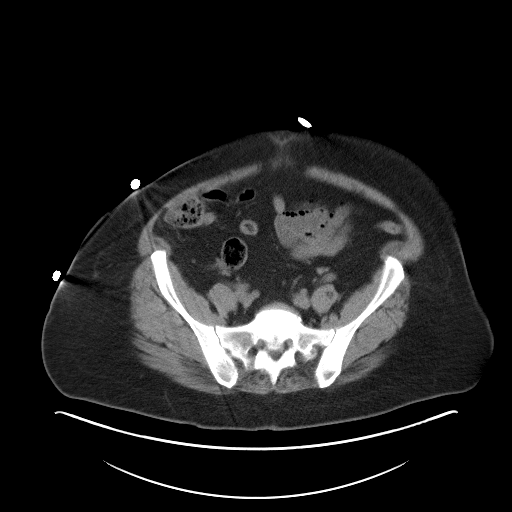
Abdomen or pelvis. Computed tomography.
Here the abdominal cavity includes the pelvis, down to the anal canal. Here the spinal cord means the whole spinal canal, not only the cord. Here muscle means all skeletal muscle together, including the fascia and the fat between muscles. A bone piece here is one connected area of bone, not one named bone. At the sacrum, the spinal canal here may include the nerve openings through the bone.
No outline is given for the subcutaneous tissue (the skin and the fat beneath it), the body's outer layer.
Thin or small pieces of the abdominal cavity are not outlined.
torso: 274,128 312,133 339,130 380,140 419,162 445,190 459,215 470,280 494,333 492,351 475,385 465,392 415,402 359,420 254,431 199,428 60,393 42,363 41,331 53,294 94,222 134,188 208,147 241,133
abdominal cavity: 281,168 387,208 403,223 406,237 380,248 370,280 338,313 325,314 321,327 305,324 280,301 261,306 245,323 225,325 224,317 238,307 237,296 222,282 212,285 207,297 196,291 154,225 164,210 200,191, around a hole outlined by 325,284 332,284 334,288 336,290 336,291 339,294 339,298 337,300 337,301 336,301 325,313 321,313 320,314 318,313 318,312 316,311 315,309 314,309 314,307 312,304 312,296 313,295 314,291 317,288
spinal cord 1: 269,351 281,351 281,353 280,354 280,355 279,356 279,357 277,359 274,359 269,354
spinal cord 2: 288,339 289,339 290,340 291,340 291,341 292,342 292,343 292,344 291,345 291,346 290,347 289,347 288,348 287,348 286,347 285,347 285,346 284,345 284,344 284,343 285,342 285,341 286,340 287,340
spinal cord 3: 259,340 260,340 261,340 262,341 263,341 263,342 264,343 264,344 263,345 263,346 262,346 261,347 260,347 259,347 258,346 257,346 257,345 256,344 256,343 257,342 257,341 258,341
muscle 1: 275,158 326,168 358,179 389,197 411,218 423,238 424,251 407,268 411,281 407,318 395,335 393,350 379,366 366,376 331,391 320,389 335,381 342,371 345,354 356,331 405,278 402,262 387,254 372,297 355,317 328,328 321,326 323,317 332,312 339,313 347,298 371,280 381,263 381,248 391,241 404,241 407,231 393,211 361,193 294,170 281,167 263,169 237,181 198,191 164,209 153,225 153,232 169,244 170,258 196,292 207,298 212,286 222,283 236,296 237,307 223,317 224,324 202,322 187,310 174,287 164,248 156,248 150,253 151,269 160,294 193,332 207,367 218,384 228,389 236,385 239,362 247,372 264,372 274,385 284,369 298,363 297,354 307,362 317,356 319,349 313,371 318,389 282,394 238,391 215,395 183,386 143,364 130,341 132,323 128,285 140,261 137,252 139,234 153,212 180,191 231,169
muscle 2: 325,284 332,284 334,288 336,290 336,291 339,294 339,298 337,300 337,301 336,301 325,313 321,313 320,314 318,313 318,312 316,311 315,309 314,309 314,307 312,304 312,296 313,295 314,291 317,288
bones: 156,249 166,252 186,310 208,325 245,324 280,302 307,326 336,328 373,297 387,255 401,262 404,278 355,331 329,386 319,388 314,376 319,348 307,361 297,353 274,384 238,361 228,388 161,294 150,259 with holes at 269,351 281,351 281,353 280,354 280,355 279,356 279,357 277,359 274,359 269,354 and at 288,339 289,339 290,340 291,340 291,341 292,342 292,343 292,344 291,345 291,346 290,347 289,347 288,348 287,348 286,347 285,347 285,346 284,345 284,344 284,343 285,342 285,341 286,340 287,340 and at 259,340 260,340 261,340 262,341 263,341 263,342 264,343 264,344 263,345 263,346 262,346 261,347 260,347 259,347 258,346 257,346 257,345 256,344 256,343 257,342 257,341 258,341